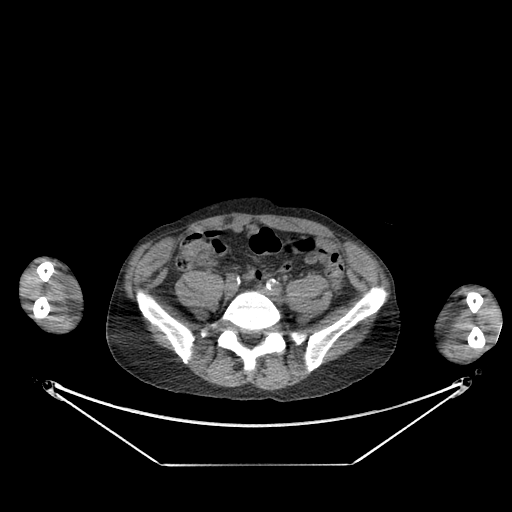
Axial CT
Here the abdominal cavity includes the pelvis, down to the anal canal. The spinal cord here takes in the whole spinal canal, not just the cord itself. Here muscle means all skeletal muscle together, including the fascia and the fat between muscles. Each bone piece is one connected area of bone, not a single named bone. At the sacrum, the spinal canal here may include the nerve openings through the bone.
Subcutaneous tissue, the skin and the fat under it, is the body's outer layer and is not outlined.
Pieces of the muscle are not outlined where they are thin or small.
{"torso":[[[240,196],[264,196],[281,205],[299,205],[319,211],[349,229],[380,256],[395,282],[401,321],[396,348],[383,366],[341,390],[315,398],[280,402],[173,393],[141,382],[115,361],[105,338],[106,314],[118,271],[133,244],[152,229],[197,208]]],"bones":[{"outer":[[247,290],[259,291],[278,308],[281,318],[277,325],[286,343],[285,349],[280,353],[272,352],[258,356],[255,368],[249,373],[244,371],[240,356],[217,344],[221,331],[219,329],[209,327],[207,336],[202,337],[200,334],[202,328],[223,314],[236,295]],"hole":[[241,328],[242,328],[244,330],[245,330],[246,331],[258,331],[259,330],[263,330],[265,332],[265,334],[264,335],[264,339],[262,341],[259,341],[256,344],[255,344],[251,348],[250,348],[249,347],[246,346],[243,343],[243,342],[239,338],[239,330]]},[[373,286],[382,286],[387,292],[387,297],[383,305],[375,313],[359,321],[339,336],[326,352],[321,364],[308,372],[304,362],[304,353],[307,342],[304,341],[296,345],[291,340],[289,333],[293,330],[302,330],[310,335],[315,331],[332,324],[343,316]],[[139,289],[142,289],[146,293],[150,294],[172,317],[181,322],[191,330],[195,338],[193,341],[191,357],[186,364],[182,361],[182,359],[174,351],[172,345],[166,338],[165,334],[160,331],[142,315],[138,308],[137,302],[136,301],[136,292],[137,290]],[[472,325],[475,325],[476,326],[478,326],[484,334],[484,337],[485,338],[485,344],[483,346],[483,347],[482,347],[481,348],[473,348],[472,347],[471,347],[468,344],[468,342],[467,341],[467,336],[471,329],[471,326]],[[40,296],[45,296],[46,297],[46,298],[50,305],[50,310],[49,311],[49,312],[47,314],[47,315],[45,317],[44,317],[43,318],[38,318],[37,319],[36,318],[35,318],[33,316],[33,311],[32,310],[32,307],[33,306],[34,301]],[[470,291],[475,291],[476,292],[478,292],[482,296],[482,297],[483,298],[483,301],[482,302],[482,304],[478,309],[477,312],[476,312],[475,313],[473,313],[471,311],[471,310],[469,308],[469,307],[466,302],[466,296],[467,295],[467,293]],[[44,260],[47,260],[48,261],[50,261],[53,264],[53,267],[54,268],[54,271],[53,272],[53,273],[51,275],[51,276],[49,278],[48,281],[42,281],[41,280],[40,277],[38,275],[38,274],[37,273],[37,271],[36,270],[37,269],[37,266]]],"left_arm":[[[468,282],[474,282],[481,284],[487,287],[493,292],[498,300],[502,311],[502,320],[501,323],[499,324],[499,331],[497,334],[495,345],[474,362],[467,365],[456,366],[453,363],[442,357],[436,350],[433,343],[432,331],[435,319],[449,294],[456,287]]],"muscle":[{"outer":[[230,213],[246,213],[253,215],[272,214],[273,215],[303,218],[315,221],[326,226],[332,231],[334,231],[340,235],[345,236],[351,240],[357,242],[361,246],[364,247],[372,255],[383,269],[383,271],[389,281],[390,289],[391,290],[391,297],[389,300],[389,302],[377,313],[376,318],[373,321],[372,325],[369,329],[369,332],[366,335],[365,338],[357,346],[352,348],[338,358],[331,360],[326,364],[322,365],[317,370],[312,372],[305,379],[300,382],[290,386],[274,390],[262,389],[256,387],[251,383],[247,383],[239,386],[231,386],[230,387],[216,385],[202,379],[197,375],[194,374],[186,367],[184,364],[186,365],[192,357],[194,341],[196,338],[192,330],[181,321],[172,316],[150,293],[146,292],[142,288],[137,289],[135,292],[136,305],[133,301],[128,298],[126,296],[123,288],[125,271],[128,265],[128,262],[135,250],[140,245],[147,242],[149,240],[153,239],[157,236],[163,234],[167,234],[169,232],[171,232],[176,229],[185,227],[195,221],[201,220],[212,216],[229,214]],"holes":[[[252,221],[334,241],[356,294],[305,325],[332,292],[320,274],[290,280],[284,301],[297,325],[281,319],[285,349],[258,356],[246,373],[241,357],[217,344],[219,329],[200,334],[224,290],[217,273],[189,269],[175,284],[199,321],[156,287],[181,239]],[[373,286],[382,286],[387,292],[387,297],[383,305],[375,313],[359,321],[339,336],[326,352],[321,364],[308,372],[304,362],[304,353],[307,342],[304,341],[296,345],[291,340],[289,333],[293,330],[302,330],[310,335],[315,331],[332,324],[343,316]]]},{"outer":[[469,286],[476,286],[477,287],[483,288],[490,294],[490,295],[494,300],[495,304],[499,311],[500,322],[497,328],[496,335],[494,337],[493,341],[488,343],[476,356],[470,359],[467,359],[466,360],[463,360],[462,361],[457,361],[450,358],[443,352],[442,348],[440,346],[440,342],[438,340],[438,325],[439,324],[439,319],[440,318],[441,313],[449,297],[453,293],[457,291],[459,291],[461,289],[465,287],[468,287]],"holes":[[[472,325],[475,325],[476,326],[478,326],[484,334],[484,337],[485,338],[485,344],[483,346],[483,347],[482,347],[481,348],[473,348],[472,347],[471,347],[468,344],[468,342],[467,341],[467,336],[471,329],[471,326]],[[470,291],[475,291],[476,292],[478,292],[482,296],[482,297],[483,298],[483,301],[482,302],[482,304],[478,309],[477,312],[476,312],[475,313],[473,313],[471,311],[471,310],[469,308],[469,307],[466,302],[466,296],[467,295],[467,293]]]},{"outer":[[42,258],[48,258],[63,265],[73,279],[78,291],[79,310],[75,315],[76,318],[73,324],[64,330],[51,330],[38,320],[45,318],[51,310],[51,305],[45,295],[40,295],[33,301],[32,312],[27,309],[26,300],[21,295],[23,276],[34,263]],"hole":[[44,260],[47,260],[48,261],[50,261],[53,264],[53,267],[54,268],[54,271],[53,272],[53,273],[51,275],[51,276],[49,278],[48,281],[42,281],[41,280],[40,277],[38,275],[38,274],[37,273],[37,271],[36,270],[37,269],[37,266]]},[[140,312],[141,315],[144,318],[145,318],[160,332],[164,334],[165,338],[171,345],[173,351],[181,359],[181,361],[183,363],[177,361],[176,360],[176,357],[173,354],[170,353],[167,349],[158,345],[150,337],[150,333],[145,328],[144,323],[141,319]]],"spinal_cord":[[[241,328],[242,328],[244,330],[245,330],[246,331],[258,331],[259,330],[263,330],[265,332],[265,334],[264,335],[264,339],[262,341],[259,341],[256,344],[255,344],[251,348],[250,348],[249,347],[246,346],[243,343],[243,342],[239,338],[239,330]]],"right_arm":[[[40,255],[55,256],[66,263],[77,278],[77,280],[82,290],[83,299],[84,300],[83,317],[79,325],[75,329],[71,332],[63,335],[54,335],[50,333],[47,333],[40,329],[24,313],[19,303],[18,299],[18,282],[20,274],[23,269],[32,259]]],"abdominal_cavity":[[[252,221],[334,241],[356,294],[305,325],[332,298],[326,279],[308,273],[285,286],[284,301],[297,314],[294,327],[256,289],[239,292],[208,321],[219,307],[223,280],[217,273],[189,269],[178,277],[175,293],[199,321],[184,316],[156,293],[179,241]]]}